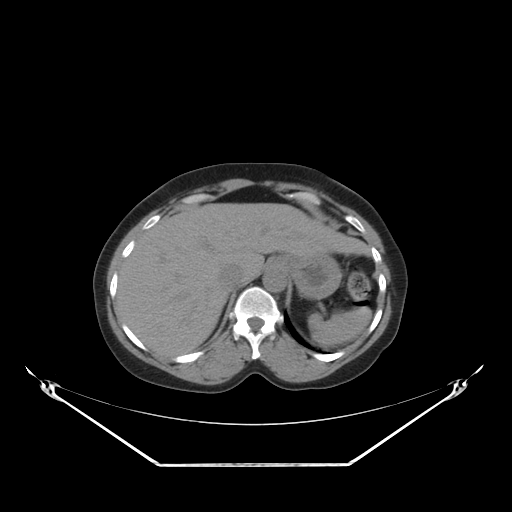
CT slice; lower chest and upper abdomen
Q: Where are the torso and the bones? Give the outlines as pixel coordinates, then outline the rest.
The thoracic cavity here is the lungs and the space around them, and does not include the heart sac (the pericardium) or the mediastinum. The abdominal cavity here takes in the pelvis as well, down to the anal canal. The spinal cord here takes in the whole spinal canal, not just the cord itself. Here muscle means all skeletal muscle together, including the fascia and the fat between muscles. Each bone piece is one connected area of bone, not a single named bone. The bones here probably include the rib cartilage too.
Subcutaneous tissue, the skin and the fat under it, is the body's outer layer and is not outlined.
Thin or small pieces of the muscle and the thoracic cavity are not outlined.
A: The torso is outlined by 224,162 286,162 318,169 363,196 383,218 403,254 408,288 396,336 373,365 359,376 324,389 288,390 252,374 227,391 194,393 137,378 108,348 97,322 92,291 94,267 107,238 139,201 164,182 183,172. The bones appear in 13 outlined pieces: piece 1: 250,286 259,286 268,292 283,314 283,323 275,325 274,338 272,339 269,334 261,340 258,346 260,355 254,360 251,357 252,348 248,340 242,335 238,339 234,339 232,325 235,320 230,320 228,317 239,294, around a hole outlined by 253,317 257,317 258,318 259,318 260,319 261,319 263,321 263,324 259,328 259,329 256,331 253,331 251,329 251,328 250,327 250,326 248,323 248,319 249,319 250,318 252,318; piece 2: 298,191 306,191 307,192 311,192 315,194 320,199 321,201 321,203 319,205 312,205 309,203 306,203 303,201 299,201 293,198 288,198 286,197 286,195 287,194 289,193 291,193 292,192 297,192; piece 3: 339,350 343,350 344,351 344,354 342,356 341,356 340,357 338,357 337,358 336,358 331,361 321,361 320,360 319,360 318,359 313,357 310,354 310,353 311,352 318,352 319,353 332,353 333,352 336,352; piece 4: 200,350 204,350 204,352 203,354 202,354 199,357 198,357 194,361 191,361 190,362 176,362 172,359 173,357 175,357 178,355 182,355 183,354 188,354 189,353 191,353 192,352 195,352 196,351 199,351; piece 5: 199,193 206,193 210,196 207,199 206,199 205,200 203,200 202,201 199,201 198,202 196,202 195,203 190,203 189,204 185,204 181,201 181,199 186,196 188,196 189,195 192,195 193,194 198,194; piece 6: 122,323 124,323 129,328 129,329 136,336 136,337 139,340 140,340 141,342 147,348 147,350 143,350 141,348 137,346 127,336 127,335 125,333 125,332 122,328 122,326 121,325; piece 7: 348,214 349,214 350,215 352,215 353,216 356,217 360,221 360,222 363,225 363,226 365,229 365,232 364,233 362,233 360,231 359,231 357,229 356,229 351,224 350,224 344,219 344,216 345,215 347,215; piece 8: 378,308 380,308 382,310 382,313 381,314 381,317 380,318 380,319 379,320 377,325 374,328 374,329 369,334 368,334 367,333 367,330 368,329 368,328 369,327 369,326 374,317 374,315 376,312 376,310; piece 9: 114,272 117,272 117,287 116,288 116,292 115,293 115,297 114,298 112,298 111,297 111,296 110,295 110,293 109,292 109,285 110,284 110,282 111,281 111,279 112,278 112,276 113,275 113,274 114,273; piece 10: 156,214 160,214 161,215 161,216 160,217 160,218 158,220 158,221 155,224 154,224 151,227 150,227 149,228 148,228 147,229 142,229 142,226 143,225 143,224 151,216 152,216 153,215 155,215; piece 11: 380,273 382,273 383,274 383,275 384,276 384,277 385,278 385,281 386,282 386,289 385,290 385,292 384,293 381,293 380,292 379,292 379,286 378,285 378,275; piece 12: 131,240 134,240 135,241 135,243 134,244 134,245 133,246 133,248 132,249 132,250 130,252 130,253 126,257 123,257 121,255 121,253 122,252 122,251 123,250 123,249 125,247 125,246; piece 13: 372,246 373,246 379,252 379,253 380,254 380,255 381,256 381,262 380,263 378,263 377,264 376,264 376,263 374,261 374,259 373,258 373,257 372,256 372,252 371,251 371,247. The muscle is outlined by 231,178 293,182 316,188 356,211 381,239 391,274 392,311 388,324 364,352 327,376 305,382 278,378 258,360 262,340 269,335 273,340 276,325 284,324 299,344 313,351 309,353 313,358 321,362 340,358 345,354 344,348 366,331 369,335 378,325 383,313 377,308 378,295 386,292 387,282 384,274 376,271 376,265 382,262 380,252 358,233 366,232 361,221 349,213 342,218 317,207 322,201 311,191 292,191 282,196 268,187 251,185 215,198 209,198 206,192 189,194 180,199 185,205 162,216 160,213 151,215 142,224 143,231 137,239 131,239 120,253 123,261 119,271 111,276 108,292 112,299 115,298 126,336 143,351 149,348 171,357 176,363 190,363 204,354 202,348 229,320 234,320 232,337 236,341 241,336 247,340 253,360 229,380 205,385 174,376 131,353 109,324 105,298 107,270 128,231 171,198. The spinal cord is outlined by 253,317 257,317 258,318 259,318 260,319 261,319 263,321 263,324 259,328 259,329 256,331 253,331 251,329 251,328 250,327 250,326 248,323 248,319 249,319 250,318 252,318. The abdominal cavity is outlined by 251,186 265,187 282,197 327,210 365,239 375,263 378,286 376,309 367,329 342,349 314,351 275,298 261,286 250,285 235,299 225,327 201,349 172,357 150,349 118,311 118,273 124,258 144,230 161,217. The thoracic cavity is outlined by 284,312 285,312 287,314 287,316 289,319 289,321 290,322 291,325 295,330 295,331 298,334 298,335 311,348 311,349 310,348 299,343 291,335 290,332 287,329 287,328 284,323 284,314 283,313.